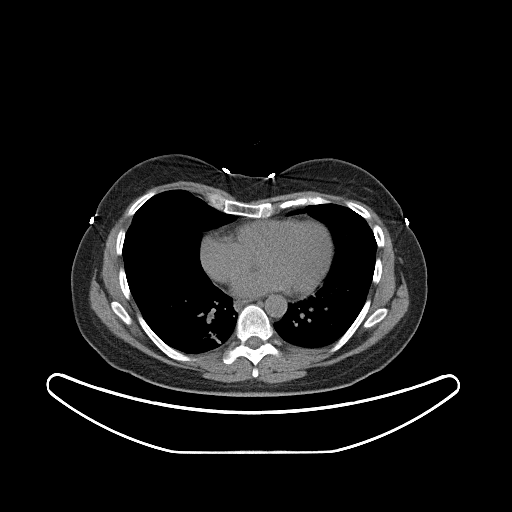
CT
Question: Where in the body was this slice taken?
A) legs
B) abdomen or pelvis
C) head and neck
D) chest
Answer: D) chest
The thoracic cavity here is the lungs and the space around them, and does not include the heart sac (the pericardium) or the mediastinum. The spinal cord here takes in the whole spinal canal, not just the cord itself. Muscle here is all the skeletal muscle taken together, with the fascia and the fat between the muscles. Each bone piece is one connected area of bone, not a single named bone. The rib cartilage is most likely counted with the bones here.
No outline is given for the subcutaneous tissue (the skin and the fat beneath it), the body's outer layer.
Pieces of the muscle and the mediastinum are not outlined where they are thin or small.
The mediastinum appears in 2 outlined pieces: piece 1: 272,294 277,294 289,302 294,302 291,303 290,302 287,305 287,309 285,313 279,320 275,321 272,325 266,312 260,306 254,303 247,304 238,313 234,308 233,299 231,296 233,298 239,300 252,301 264,299; piece 2: 298,206 305,206 301,209 296,209 295,210 293,210 291,211 289,213 289,214 291,215 282,215 280,216 279,215 274,214 279,212 281,210 283,210 284,209 287,209 291,207 297,207. The bones appear in 11 outlined pieces: piece 1: 250,304 260,307 265,312 270,324 281,341 281,344 276,346 280,351 280,355 266,354 256,365 258,372 256,377 252,375 254,367 252,362 245,356 237,357 230,364 223,362 224,350 231,342 238,315 244,307, around a hole outlined by 253,336 255,336 256,337 258,337 262,341 262,343 258,347 257,347 256,348 252,348 251,347 250,347 249,346 248,346 246,344 246,341 250,337 252,337; piece 2: 208,193 217,193 231,200 237,200 252,204 270,202 276,205 280,202 303,196 319,196 329,200 330,202 291,206 283,209 277,208 275,210 275,213 268,217 251,217 229,214 217,209 210,205 206,200 206,196; piece 3: 367,299 370,299 371,302 365,317 366,318 378,308 386,308 387,309 387,313 386,315 380,321 374,325 367,328 364,327 363,324 361,323 350,338 339,349 333,352 331,352 329,350 330,348 348,329 360,312; piece 4: 138,313 140,313 149,327 167,345 184,354 186,354 191,357 194,357 196,358 196,359 195,360 192,360 191,361 181,361 180,360 176,360 175,359 173,359 165,354 150,339 150,338 141,327 136,316; piece 5: 152,190 154,190 156,191 156,194 155,194 153,196 149,198 134,213 134,214 132,216 128,216 127,215 127,212 129,208 132,205 132,204 140,196; piece 6: 112,301 116,301 117,302 118,302 120,304 121,304 121,305 124,308 124,309 127,312 127,313 129,315 129,316 131,319 131,323 130,324 129,324 128,325 127,324 126,324 113,311 113,310 111,307 111,302; piece 7: 120,267 123,267 124,269 124,271 125,272 125,276 126,277 126,279 127,280 127,283 129,287 129,290 131,294 131,296 129,299 127,299 125,297 120,287 120,284 119,283 119,269; piece 8: 348,200 349,200 350,201 352,201 355,203 357,203 359,205 360,205 364,208 365,208 369,212 369,213 370,214 370,218 369,218 368,219 365,219 361,215 360,215 349,207 346,206 346,205 345,204 345,202; piece 9: 375,224 378,225 381,228 382,230 382,232 383,233 383,236 384,237 384,244 383,246 381,247 378,247 377,246 377,243 376,242 376,240 375,239 375,237 374,236 374,234 372,230 372,227; piece 10: 120,229 124,229 126,231 125,232 125,236 124,237 124,240 123,241 123,246 122,247 122,253 121,254 121,255 118,255 116,253 116,239 117,238 117,235 118,234 118,232 119,231 119,230; piece 11: 377,257 378,258 379,258 381,260 381,263 382,264 382,270 381,271 381,276 379,279 379,281 376,284 375,284 372,282 372,278 373,277 373,273 374,272 374,268 375,267 375,262 376,261 376,258. The thoracic cavity appears in 2 outlined pieces: piece 1: 170,190 188,191 217,210 235,215 232,221 201,232 199,246 201,267 212,283 231,297 233,308 238,314 230,339 224,345 199,353 184,353 170,346 150,327 132,296 124,268 122,256 124,241 133,216 149,199; piece 2: 330,203 349,208 366,220 371,228 377,247 371,284 359,312 335,342 319,347 302,347 281,339 273,324 283,317 290,303 314,296 323,286 331,267 335,246 331,233 324,223 306,212 290,213 301,210 309,205. The torso is outlined by 168,153 195,156 231,173 264,177 298,162 333,157 360,166 376,177 400,205 427,268 424,312 401,353 382,370 349,386 256,397 169,389 108,364 85,340 74,319 70,293 72,262 100,200 112,184 135,164. The pericardium is outlined by 298,214 305,214 324,224 330,233 334,246 330,267 322,285 313,295 294,301 289,301 277,293 272,293 260,299 239,299 215,285 203,269 200,260 200,246 202,238 208,232 245,217 269,218 272,215 281,217. The muscle appears in 2 outlined pieces: piece 1: 300,191 316,191 362,202 380,217 389,232 394,251 394,273 398,280 401,273 406,282 409,305 396,325 369,348 288,381 267,383 254,378 223,382 144,353 112,334 91,308 90,283 95,269 101,270 107,236 125,209 137,198 126,212 132,217 130,224 126,230 120,228 115,239 115,253 123,262 118,269 118,283 124,297 127,300 133,298 139,310 135,316 140,327 165,355 176,361 191,362 197,358 187,354 212,351 230,340 223,350 222,362 230,365 237,358 245,357 253,366 251,375 256,378 259,374 257,365 266,355 281,355 277,346 282,344 281,340 302,348 333,344 328,350 331,353 339,350 361,324 370,328 388,313 386,307 378,307 366,317 372,302 367,298 370,286 372,283 376,285 382,276 382,260 376,257 376,253 377,248 384,246 385,237 378,224 369,225 370,212 349,199 345,205 319,195 298,196 276,204 249,202 with a hole at 112,301 116,301 117,302 118,302 120,304 121,304 121,305 124,308 124,309 127,312 127,313 129,315 129,316 131,319 131,323 130,324 129,324 128,325 127,324 126,324 113,311 113,310 111,307 111,302; piece 2: 176,181 192,181 193,182 212,186 229,193 235,199 228,198 217,192 208,192 205,196 205,200 185,189 170,189 169,190 162,191 159,193 157,193 156,190 152,189 146,192 147,190 152,187 166,183 175,182. The spinal cord is outlined by 253,336 255,336 256,337 258,337 262,341 262,343 258,347 257,347 256,348 252,348 251,347 250,347 249,346 248,346 246,344 246,341 250,337 252,337.